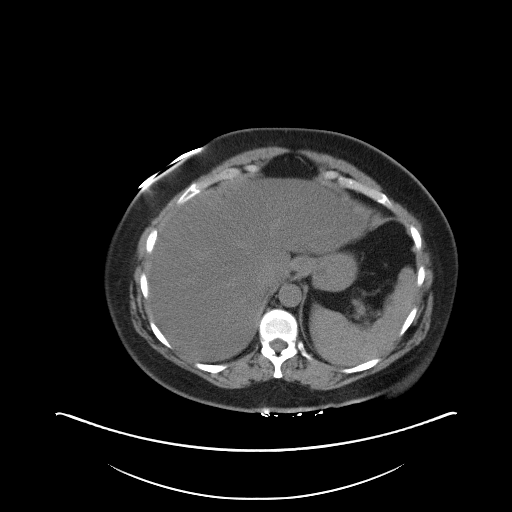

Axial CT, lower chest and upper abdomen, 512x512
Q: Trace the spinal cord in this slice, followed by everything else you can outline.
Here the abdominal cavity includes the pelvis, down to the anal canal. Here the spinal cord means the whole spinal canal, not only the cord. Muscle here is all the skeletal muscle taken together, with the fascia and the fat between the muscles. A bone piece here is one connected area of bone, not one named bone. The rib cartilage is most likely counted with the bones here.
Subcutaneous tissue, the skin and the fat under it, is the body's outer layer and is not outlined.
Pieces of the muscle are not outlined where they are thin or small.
A: {"spinal_cord":[[[275,339],[280,339],[281,340],[282,340],[286,344],[286,346],[284,348],[283,348],[279,352],[277,352],[276,351],[275,351],[271,347],[271,346],[270,345],[270,343],[273,340],[274,340]]],"abdominal_cavity":[[[285,154],[309,159],[320,178],[404,226],[417,266],[411,308],[385,351],[341,367],[304,344],[298,324],[303,286],[285,279],[269,296],[257,336],[244,353],[224,363],[196,361],[173,347],[150,310],[147,274],[158,233],[178,206],[204,188],[255,174]]],"muscle":[[[266,146],[309,149],[353,164],[374,179],[388,195],[419,220],[422,226],[433,270],[433,305],[426,336],[418,345],[388,366],[341,387],[318,390],[296,386],[281,379],[283,362],[298,353],[312,361],[314,358],[306,348],[319,360],[342,368],[340,371],[344,374],[361,372],[375,366],[396,338],[401,337],[409,328],[418,311],[418,307],[412,305],[416,287],[423,284],[426,276],[425,267],[422,264],[418,267],[417,265],[415,251],[422,249],[422,237],[413,224],[408,226],[408,233],[405,226],[393,217],[390,211],[395,213],[396,210],[384,192],[334,169],[321,171],[319,175],[316,164],[303,155],[277,155],[261,167],[255,163],[241,167],[228,166],[191,182],[233,155]],[[184,188],[175,201],[177,207],[159,232],[153,227],[145,239],[144,248],[150,257],[147,273],[143,271],[139,276],[139,286],[142,296],[147,300],[152,317],[148,320],[150,329],[167,348],[174,348],[180,354],[194,360],[196,368],[212,374],[226,369],[228,365],[225,363],[244,354],[258,336],[260,354],[273,365],[272,379],[247,388],[219,387],[165,358],[151,347],[132,325],[129,285],[133,279],[138,240],[151,220]]],"torso":[[[261,126],[328,129],[364,140],[407,168],[447,218],[459,263],[453,307],[432,363],[403,395],[386,401],[372,399],[300,413],[228,410],[190,400],[164,388],[136,365],[121,344],[107,310],[102,268],[110,238],[128,204],[156,175],[210,139],[232,130]]],"bones":[{"outer":[[274,308],[283,309],[295,317],[298,325],[297,338],[303,342],[306,351],[313,358],[309,360],[299,352],[287,358],[280,366],[282,373],[280,378],[275,378],[273,376],[274,365],[268,358],[261,354],[261,345],[258,335],[261,317],[266,311]],"hole":[[275,339],[280,339],[281,340],[282,340],[286,344],[286,346],[284,348],[283,348],[279,352],[277,352],[276,351],[275,351],[271,347],[271,346],[270,345],[270,343],[273,340],[274,340]]},[[248,164],[255,164],[260,166],[261,168],[257,172],[252,174],[242,175],[239,177],[234,177],[232,179],[222,179],[216,181],[204,187],[198,193],[180,205],[176,203],[178,198],[191,183],[197,182],[208,176],[211,176],[224,168],[228,167],[241,168]],[[327,170],[334,170],[345,176],[350,177],[361,183],[363,183],[384,193],[392,203],[395,212],[389,210],[383,205],[376,202],[371,198],[366,196],[360,192],[339,185],[335,180],[324,179],[320,177],[320,173]],[[378,357],[380,358],[380,360],[375,365],[368,369],[365,369],[364,370],[362,370],[361,371],[357,371],[356,372],[352,372],[351,373],[344,373],[341,371],[341,369],[343,368],[350,368]],[[196,362],[200,362],[201,363],[204,363],[205,364],[226,364],[227,366],[226,368],[225,368],[223,370],[219,372],[217,372],[216,373],[212,373],[208,371],[205,371],[204,370],[202,370],[196,367],[195,366],[195,363]],[[413,306],[416,306],[417,307],[417,311],[415,314],[415,316],[412,322],[410,324],[408,328],[404,332],[404,333],[401,336],[398,336],[398,334],[400,331],[400,329],[402,327],[402,325],[406,317],[408,315],[410,310],[413,307]],[[150,319],[151,319],[154,322],[154,323],[163,334],[165,338],[172,346],[172,348],[169,348],[167,347],[164,344],[163,344],[155,336],[155,335],[153,333],[151,329],[151,327],[149,323],[149,320]],[[410,225],[413,225],[417,229],[417,230],[419,232],[419,233],[420,234],[420,236],[421,237],[421,249],[419,251],[417,251],[415,249],[415,248],[414,247],[414,242],[413,241],[413,240],[412,239],[412,238],[410,235],[410,231],[409,230],[409,226]],[[153,228],[156,228],[157,229],[157,231],[158,232],[157,233],[157,237],[156,238],[156,240],[155,241],[155,243],[153,246],[153,249],[152,250],[151,253],[148,253],[146,251],[146,249],[145,248],[145,244],[146,243],[146,239],[147,238],[149,233]],[[143,272],[144,272],[145,273],[145,274],[146,275],[146,277],[147,278],[147,283],[148,284],[148,297],[147,298],[147,299],[146,299],[143,296],[143,294],[142,293],[142,291],[141,290],[141,287],[140,286],[140,276],[141,275],[141,274]],[[421,265],[422,265],[424,267],[424,269],[425,270],[425,276],[424,277],[424,279],[423,280],[423,282],[422,283],[422,284],[420,286],[417,286],[417,285],[416,284],[416,281],[417,280],[417,271],[418,270],[418,268],[419,267],[419,266],[420,266]]],"mediastinum":[[[290,279],[297,281],[302,286],[302,296],[300,301],[300,305],[298,307],[298,317],[297,320],[296,317],[291,312],[279,307],[274,307],[268,309],[264,312],[264,310],[266,307],[266,304],[268,302],[270,296],[272,295],[276,288],[285,280],[289,280]],[[352,190],[358,193],[360,193],[364,195],[366,197],[371,199],[376,203],[383,206],[386,209],[387,209],[390,213],[387,213],[383,209],[382,209],[377,205],[369,201],[367,201],[366,200],[364,200],[362,199],[355,193],[354,193]]]}